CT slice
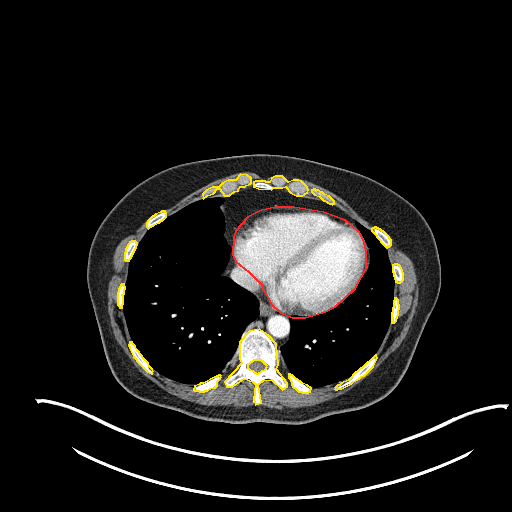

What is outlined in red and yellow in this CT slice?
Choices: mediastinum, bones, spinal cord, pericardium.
red: pericardium; yellow: bones.
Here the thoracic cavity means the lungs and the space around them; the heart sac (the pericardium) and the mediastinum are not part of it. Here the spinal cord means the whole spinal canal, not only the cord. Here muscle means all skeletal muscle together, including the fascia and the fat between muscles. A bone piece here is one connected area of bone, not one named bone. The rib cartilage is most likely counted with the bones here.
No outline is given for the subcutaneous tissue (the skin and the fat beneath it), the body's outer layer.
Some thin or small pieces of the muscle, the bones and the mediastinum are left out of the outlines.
{"pericardium":[[[292,317],[305,317],[325,311],[335,306],[355,288],[366,268],[366,250],[363,239],[359,232],[345,220],[323,212],[293,207],[275,207],[261,210],[247,217],[235,231],[233,237],[232,254],[235,261],[248,271],[262,285],[262,288],[271,304],[280,312]]],"bones":[{"outer":[[255,404],[261,402],[258,384],[263,380],[271,379],[282,389],[287,386],[287,383],[276,369],[278,364],[276,344],[268,335],[259,329],[249,331],[239,342],[239,358],[241,363],[224,382],[226,386],[232,386],[244,378],[252,381],[255,384],[253,399]],"hole":[[256,373],[258,373],[259,372],[260,372],[262,370],[265,369],[267,366],[265,364],[265,363],[264,363],[263,362],[263,361],[262,361],[261,360],[253,360],[251,362],[250,362],[247,365],[247,367],[249,369],[252,370],[254,372],[255,372]]},[[296,195],[302,195],[307,192],[308,190],[307,187],[301,181],[298,180],[293,180],[288,182],[282,176],[275,176],[271,178],[269,182],[266,182],[265,181],[255,181],[253,182],[253,186],[258,188],[271,189],[274,187],[282,187],[285,186],[290,192]],[[203,198],[207,195],[213,193],[217,188],[219,188],[224,195],[229,195],[234,191],[238,190],[240,186],[243,186],[250,183],[251,182],[251,178],[247,175],[240,174],[235,180],[228,180],[222,183],[218,187],[212,187],[206,190],[202,194]],[[335,389],[337,389],[338,388],[341,388],[351,383],[353,381],[359,378],[361,376],[364,375],[373,366],[377,358],[376,355],[375,355],[361,368],[360,368],[356,372],[355,372],[348,380],[341,383],[339,385],[337,385],[334,388]],[[151,373],[152,373],[153,371],[152,369],[149,366],[148,363],[142,357],[142,356],[139,353],[139,352],[137,350],[135,346],[132,343],[132,342],[129,342],[128,345],[129,346],[129,348],[133,356],[136,359],[136,360],[147,371]],[[199,391],[204,391],[205,390],[207,390],[210,388],[215,387],[217,385],[217,381],[220,378],[220,377],[221,376],[220,375],[218,375],[217,376],[216,376],[215,377],[214,377],[203,383],[200,383],[199,384],[194,386],[193,389],[194,390],[198,390]],[[302,392],[308,392],[309,391],[310,391],[311,388],[307,385],[302,383],[300,381],[299,381],[297,379],[296,379],[292,375],[291,375],[290,374],[288,374],[288,377],[291,381],[291,384],[292,385],[292,386],[293,387],[294,387],[298,391],[301,391]],[[386,247],[387,247],[388,246],[389,246],[391,244],[391,240],[389,238],[389,237],[383,231],[382,231],[380,229],[379,229],[378,228],[377,228],[376,227],[374,227],[373,228],[372,228],[371,229],[371,230],[376,235],[376,236],[380,240],[380,241]],[[148,228],[150,226],[151,226],[152,225],[153,225],[154,224],[159,222],[161,220],[162,220],[166,216],[166,213],[165,212],[165,211],[161,211],[160,212],[155,214],[153,216],[152,216],[147,221],[147,222],[146,223],[146,226]],[[125,260],[129,260],[129,259],[131,257],[131,256],[132,255],[132,254],[133,253],[133,252],[136,247],[136,245],[137,244],[137,243],[135,241],[131,241],[130,242],[129,242],[129,243],[127,245],[127,246],[125,249],[125,252],[124,253],[124,259]],[[397,282],[400,282],[403,279],[403,273],[402,272],[402,270],[401,269],[401,268],[400,267],[400,266],[399,265],[398,265],[397,264],[394,264],[393,265],[392,265],[392,271],[393,272],[393,275],[394,276],[394,278],[395,279],[395,281],[396,281]],[[391,322],[394,322],[396,320],[396,318],[397,317],[397,315],[398,314],[398,309],[399,308],[399,305],[398,304],[398,300],[396,298],[394,298],[394,300],[393,301],[393,307],[392,308],[392,312],[391,313],[391,316],[392,317],[392,318],[391,319]],[[119,307],[122,307],[122,304],[123,303],[123,294],[124,293],[124,289],[125,288],[125,287],[124,286],[124,284],[121,284],[120,285],[120,286],[119,287],[119,288],[118,289],[118,292],[117,293],[117,304],[119,306]],[[332,204],[333,203],[334,203],[334,201],[329,196],[324,194],[322,192],[321,192],[318,190],[316,190],[315,189],[313,189],[312,190],[311,190],[311,191],[314,194],[319,196],[323,200],[324,200],[329,203],[331,203]]],"thoracic_cavity":[[[191,385],[222,374],[224,365],[233,354],[241,333],[258,315],[258,301],[255,296],[221,274],[228,262],[230,252],[230,246],[222,235],[224,221],[219,209],[221,197],[195,201],[150,227],[129,261],[125,283],[123,311],[133,343],[153,369],[166,377]],[[311,387],[338,383],[348,379],[375,354],[390,323],[394,279],[391,271],[391,265],[388,260],[387,251],[370,230],[357,222],[356,225],[363,235],[370,253],[369,267],[366,273],[356,288],[335,307],[310,317],[291,317],[290,337],[280,348],[288,372]]],"muscle":[[[272,408],[310,406],[344,394],[373,373],[401,344],[415,313],[418,286],[411,259],[390,237],[392,244],[387,248],[389,260],[391,264],[397,263],[401,266],[404,279],[400,283],[395,282],[394,297],[399,300],[399,314],[397,320],[390,324],[376,353],[378,358],[374,366],[364,376],[341,389],[333,388],[340,382],[302,393],[291,386],[282,362],[277,369],[288,383],[284,390],[271,380],[259,384],[262,402],[258,405]],[[236,408],[254,404],[254,384],[249,380],[244,379],[232,387],[223,384],[237,365],[225,370],[215,388],[199,392],[194,391],[193,386],[166,378],[154,370],[152,374],[147,372],[128,348],[131,340],[122,308],[116,304],[116,293],[126,279],[128,261],[123,259],[124,249],[131,240],[138,243],[147,230],[146,220],[122,239],[114,252],[114,266],[107,290],[107,309],[114,337],[134,367],[168,393],[203,405],[233,405]],[[167,215],[170,215],[177,211],[182,207],[194,201],[196,198],[202,198],[201,194],[206,189],[212,186],[218,186],[222,182],[228,179],[235,179],[240,173],[247,174],[252,178],[252,182],[250,184],[243,187],[240,187],[240,189],[252,186],[252,182],[255,180],[269,181],[270,178],[274,176],[262,178],[256,173],[248,172],[247,171],[237,172],[230,174],[208,183],[206,185],[190,193],[173,205],[162,210],[165,210]],[[369,229],[376,226],[360,216],[343,199],[333,192],[307,180],[296,177],[289,178],[283,176],[288,181],[293,179],[301,180],[308,187],[308,192],[302,196],[321,199],[310,191],[313,188],[329,195],[335,201],[333,204],[334,205],[341,209],[352,219]]],"spinal_cord":[[[256,373],[258,373],[259,372],[260,372],[262,370],[265,369],[267,366],[265,364],[265,363],[264,363],[263,362],[263,361],[262,361],[261,360],[253,360],[251,362],[250,362],[247,365],[247,367],[249,369],[252,370],[254,372],[255,372]]],"mediastinum":[[[279,363],[290,317],[277,311],[261,285],[234,261],[234,231],[250,214],[275,206],[323,211],[359,230],[355,221],[322,200],[282,188],[250,187],[222,197],[223,235],[231,246],[222,274],[259,301],[259,315],[241,338],[254,328],[263,330],[277,344]],[[223,371],[224,371],[224,370],[226,368],[228,369],[227,370],[229,370],[231,366],[233,367],[237,364],[238,366],[239,365],[240,363],[240,361],[238,358],[238,348],[237,347],[232,357],[226,363],[225,365],[225,367]]],"torso":[[[286,424],[305,423],[368,406],[385,397],[400,381],[440,288],[440,263],[427,222],[407,200],[375,180],[294,156],[227,156],[188,162],[154,174],[130,190],[112,208],[96,231],[88,256],[88,290],[114,377],[135,397],[192,416],[230,423],[262,421]]]}